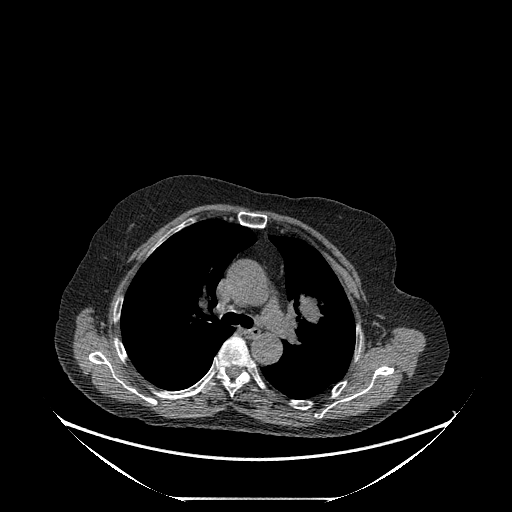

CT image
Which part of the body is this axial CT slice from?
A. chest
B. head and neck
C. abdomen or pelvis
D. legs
A. chest
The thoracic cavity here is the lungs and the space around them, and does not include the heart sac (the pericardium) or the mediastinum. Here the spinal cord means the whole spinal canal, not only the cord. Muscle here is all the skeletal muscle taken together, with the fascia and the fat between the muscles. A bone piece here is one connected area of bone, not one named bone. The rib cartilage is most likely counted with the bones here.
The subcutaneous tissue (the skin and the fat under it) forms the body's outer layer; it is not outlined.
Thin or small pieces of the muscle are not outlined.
Outlined structures:
mediastinum: (268, 224) (281, 226) (296, 234) (271, 234) (268, 237) (283, 261) (284, 285) (289, 303) (282, 354) (275, 363) (259, 368) (244, 338) (233, 334) (234, 329) (223, 319) (219, 321) (214, 311) (218, 305) (216, 287) (226, 268) (238, 253) (256, 241) (253, 229) (264, 229)
spinal cord: (233, 365) (235, 365) (236, 366) (237, 366) (238, 367) (239, 367) (241, 369) (241, 370) (240, 371) (240, 373) (236, 377) (235, 377) (234, 378) (231, 378) (227, 374) (227, 373) (226, 372) (226, 370) (227, 369) (227, 368) (228, 368) (229, 367) (230, 367)
muscle 1: (212, 203) (252, 210) (240, 209) (235, 218) (198, 220) (196, 215) (188, 216) (147, 250) (124, 294) (118, 294) (112, 304) (112, 322) (119, 324) (120, 331) (120, 338) (115, 335) (112, 342) (120, 361) (124, 365) (130, 362) (157, 398) (205, 394) (219, 381) (232, 399) (238, 389) (253, 383) (253, 391) (273, 394) (275, 390) (287, 398) (290, 407) (305, 411) (315, 404) (313, 397) (328, 393) (332, 400) (342, 392) (351, 362) (360, 358) (364, 335) (368, 348) (383, 343) (392, 329) (409, 327) (423, 332) (426, 344) (413, 375) (393, 397) (358, 415) (290, 427) (262, 422) (230, 407) (211, 416) (168, 418) (108, 397) (84, 376) (73, 355) (76, 316) (92, 307) (105, 322) (112, 296) (130, 267) (131, 253) (184, 211) with holes at (384, 365) (393, 367) (394, 368) (393, 372) (387, 375) (379, 374) (375, 378) (372, 386) (365, 393) (350, 400) (339, 402) (327, 411) (322, 418) (316, 418) (313, 416) (314, 413) (319, 413) (333, 401) (348, 397) (364, 389) (371, 381) (371, 378) (375, 370) (378, 367) and at (94, 351) (99, 351) (106, 357) (111, 364) (115, 374) (125, 384) (131, 386) (139, 393) (141, 393) (146, 396) (154, 397) (157, 400) (157, 404) (155, 405) (152, 404) (125, 388) (112, 376) (111, 371) (106, 364) (98, 364) (92, 362) (88, 358) (88, 356) (90, 353)
muscle 2: (255, 210) (274, 211) (302, 221) (322, 234) (344, 255) (355, 268) (366, 298) (366, 301) (362, 300) (359, 302) (359, 310) (363, 319) (362, 328) (361, 321) (355, 321) (350, 301) (342, 284) (320, 251) (309, 241) (293, 231) (281, 225) (268, 223) (269, 216) (262, 211)
bones 1: (232, 335) (243, 338) (250, 357) (273, 393) (261, 389) (255, 391) (252, 389) (256, 385) (249, 382) (238, 388) (231, 398) (219, 380) (205, 393) (198, 392) (176, 399) (157, 397) (149, 390) (147, 386) (149, 384) (157, 389) (169, 391) (191, 386) (208, 371) (222, 344); inner edge: (233, 365) (235, 365) (236, 366) (237, 366) (238, 367) (239, 367) (241, 369) (241, 370) (240, 371) (240, 373) (236, 377) (235, 377) (234, 378) (231, 378) (227, 374) (227, 373) (226, 372) (226, 370) (227, 369) (227, 368) (228, 368) (229, 367) (230, 367)
bones 2: (384, 365) (393, 367) (394, 368) (393, 372) (387, 375) (379, 374) (375, 378) (372, 386) (365, 393) (350, 400) (339, 402) (327, 411) (322, 418) (316, 418) (313, 416) (314, 413) (319, 413) (333, 401) (348, 397) (364, 389) (371, 381) (371, 378) (375, 370) (378, 367)
bones 3: (94, 351) (99, 351) (106, 357) (111, 364) (115, 374) (125, 384) (131, 386) (139, 393) (141, 393) (146, 396) (154, 397) (157, 400) (157, 404) (155, 405) (152, 404) (125, 388) (112, 376) (111, 371) (106, 364) (98, 364) (92, 362) (88, 358) (88, 356) (90, 353)
bones 4: (240, 210) (246, 210) (247, 211) (255, 211) (256, 212) (262, 212) (266, 214) (268, 216) (268, 222) (267, 223) (267, 225) (264, 228) (251, 228) (250, 227) (248, 227) (247, 226) (244, 226) (240, 224) (237, 221) (236, 219) (236, 214) (238, 212) (238, 211)
bones 5: (191, 216) (196, 216) (197, 217) (197, 220) (195, 222) (182, 228) (177, 232) (172, 234) (160, 245) (159, 245) (148, 256) (148, 257) (143, 261) (143, 259) (145, 256) (145, 254) (148, 251) (148, 250) (157, 241) (157, 240) (166, 232) (167, 230) (177, 225) (183, 220)
bones 6: (357, 321) (360, 321) (361, 323) (361, 328) (363, 332) (363, 339) (362, 340) (362, 346) (361, 347) (361, 351) (359, 355) (359, 358) (356, 362) (353, 363) (352, 362) (352, 358) (353, 357) (353, 354) (354, 353) (355, 341) (356, 340) (356, 331) (355, 330) (355, 324)
bones 7: (288, 398) (289, 399) (296, 399) (297, 400) (305, 400) (306, 399) (311, 399) (314, 402) (314, 404) (312, 406) (312, 407) (308, 409) (306, 409) (305, 410) (302, 410) (301, 409) (297, 409) (296, 408) (294, 408) (290, 406) (286, 402) (286, 400) (287, 400)
bones 8: (115, 336) (117, 336) (121, 340) (123, 344) (123, 346) (125, 349) (125, 351) (128, 356) (129, 361) (128, 361) (126, 364) (124, 364) (121, 361) (120, 358) (118, 356) (116, 352) (116, 350) (114, 346) (114, 343) (113, 342) (113, 339)
bones 9: (120, 294) (123, 294) (124, 295) (124, 297) (123, 298) (123, 302) (122, 303) (122, 305) (121, 306) (121, 313) (120, 314) (120, 318) (119, 319) (119, 323) (117, 323) (116, 324) (115, 324) (113, 322) (113, 304) (114, 303) (114, 301) (115, 300) (116, 297)
bones 10: (343, 379) (346, 379) (347, 380) (347, 383) (344, 387) (344, 388) (341, 391) (341, 392) (335, 398) (333, 398) (332, 399) (330, 399) (329, 398) (328, 398) (328, 396) (329, 395) (329, 392) (330, 391) (330, 389) (334, 385) (335, 385) (338, 382) (339, 382)
thoracic cavity 1: (228, 216) (252, 229) (256, 236) (251, 245) (235, 255) (215, 287) (217, 305) (213, 314) (219, 322) (223, 320) (231, 327) (233, 332) (223, 341) (207, 371) (194, 383) (175, 390) (158, 388) (136, 369) (121, 339) (120, 319) (125, 293) (141, 264) (172, 235) (199, 220)
thoracic cavity 2: (271, 235) (297, 235) (319, 251) (341, 284) (355, 322) (353, 353) (343, 378) (334, 384) (328, 392) (323, 392) (311, 398) (287, 397) (268, 385) (259, 370) (275, 364) (283, 354) (283, 340) (286, 338) (286, 316) (290, 303) (286, 292) (284, 261) (279, 250) (269, 238)
torso: (178, 174) (210, 176) (290, 197) (330, 198) (381, 219) (395, 240) (395, 284) (428, 301) (443, 321) (450, 348) (443, 373) (379, 423) (334, 437) (150, 425) (136, 418) (117, 416) (95, 404) (69, 380) (57, 359) (54, 331) (61, 295) (93, 234) (114, 206) (132, 192)